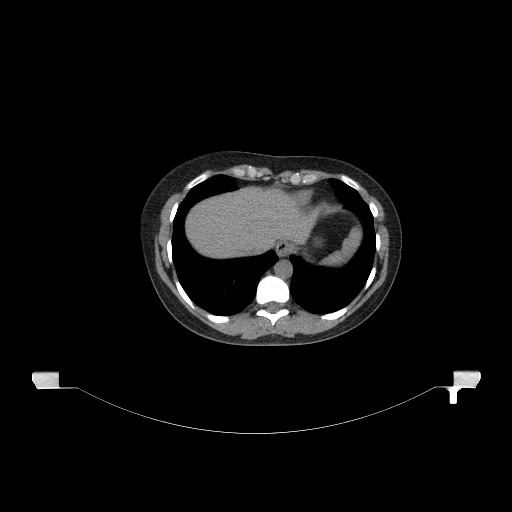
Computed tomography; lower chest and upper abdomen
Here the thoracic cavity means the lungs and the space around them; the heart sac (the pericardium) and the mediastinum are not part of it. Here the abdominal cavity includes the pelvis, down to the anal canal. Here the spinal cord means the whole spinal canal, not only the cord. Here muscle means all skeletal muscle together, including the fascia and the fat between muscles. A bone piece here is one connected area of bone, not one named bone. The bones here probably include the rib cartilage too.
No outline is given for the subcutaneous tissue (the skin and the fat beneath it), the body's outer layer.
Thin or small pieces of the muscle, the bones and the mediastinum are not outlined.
{"bones":[{"outer":[[266,275],[274,275],[281,278],[288,285],[289,287],[289,293],[290,294],[290,299],[285,304],[285,306],[289,311],[288,314],[279,317],[273,325],[271,324],[271,322],[268,318],[255,314],[256,311],[259,308],[259,306],[255,302],[257,285],[261,278]],"hole":[[272,301],[273,302],[277,302],[278,303],[279,303],[279,304],[280,305],[280,307],[279,308],[279,309],[278,309],[276,311],[275,311],[274,312],[270,312],[269,311],[268,311],[265,308],[265,305],[268,302],[271,302]]},[[249,165],[253,166],[258,171],[261,172],[262,175],[264,177],[265,176],[268,176],[269,179],[268,180],[264,180],[261,177],[256,177],[253,179],[250,179],[246,175],[242,178],[233,176],[232,173],[232,169],[233,168],[246,169]],[[295,172],[297,172],[301,175],[305,175],[306,174],[315,174],[318,176],[318,180],[317,181],[315,181],[312,183],[309,183],[308,184],[298,184],[297,185],[294,185],[293,184],[290,183],[288,181],[288,179],[289,178],[289,177],[293,173],[294,173]],[[207,170],[210,171],[210,173],[211,174],[211,175],[208,178],[207,178],[205,180],[198,183],[196,185],[195,185],[193,187],[192,187],[189,190],[186,190],[185,189],[185,186],[188,183],[188,182],[189,182],[196,176],[199,175],[204,171],[206,171]],[[348,305],[349,306],[348,309],[342,315],[341,315],[339,317],[338,317],[335,319],[322,319],[320,317],[320,315],[322,315],[323,314],[326,314],[327,313],[331,313],[332,312],[334,312],[335,311],[337,311],[338,310],[343,308],[345,306],[347,306]],[[175,279],[177,279],[178,280],[178,281],[180,283],[182,288],[184,290],[184,291],[186,293],[186,294],[195,305],[195,306],[196,307],[194,309],[193,308],[192,308],[184,300],[184,299],[179,293],[179,292],[177,289],[177,287],[175,284]],[[340,174],[345,174],[346,175],[347,175],[349,177],[350,177],[352,179],[353,179],[356,182],[357,182],[357,183],[360,186],[360,190],[359,191],[358,191],[357,190],[356,190],[354,188],[351,187],[349,185],[346,184],[341,180],[338,179],[338,177]],[[206,312],[208,312],[209,313],[210,313],[211,314],[213,314],[214,315],[218,315],[219,316],[228,316],[229,317],[229,320],[227,322],[222,322],[221,323],[216,323],[215,322],[214,322],[213,321],[208,319],[206,317],[206,316],[205,315],[205,313]],[[373,265],[374,265],[376,267],[376,271],[375,272],[375,275],[374,276],[374,277],[373,278],[373,279],[372,280],[371,283],[369,285],[369,286],[365,290],[363,290],[362,289],[366,283],[366,281],[369,276],[369,274],[371,271],[371,269],[372,268]],[[169,238],[170,238],[171,239],[171,255],[172,256],[172,264],[171,263],[170,263],[169,262],[169,260],[168,259],[168,254],[167,253],[167,241],[168,240],[168,239]],[[175,202],[178,202],[178,206],[177,207],[177,209],[176,210],[176,212],[174,215],[174,217],[173,218],[173,220],[172,221],[172,222],[170,222],[169,221],[169,217],[170,216],[170,212],[171,211],[171,209],[172,208],[172,207],[173,206],[173,205]],[[370,201],[372,201],[375,204],[375,205],[377,208],[377,212],[378,213],[378,214],[376,217],[373,217],[373,215],[372,214],[372,213],[370,210],[370,208],[368,205],[368,203]],[[376,232],[377,232],[379,234],[379,237],[380,238],[380,246],[379,247],[379,250],[378,251],[376,251],[376,238],[375,237],[375,234],[376,233]]],"muscle":[[[358,182],[378,200],[386,214],[389,234],[387,274],[383,283],[359,308],[327,330],[307,336],[266,334],[254,339],[225,334],[191,314],[156,270],[154,238],[160,227],[159,210],[172,194],[184,186],[186,194],[179,203],[173,203],[169,212],[172,234],[166,241],[166,253],[177,277],[174,279],[176,289],[192,309],[196,306],[201,308],[208,320],[221,324],[227,323],[229,316],[243,311],[254,302],[258,306],[254,314],[268,319],[273,326],[279,318],[289,314],[286,304],[291,299],[306,311],[318,314],[322,320],[335,320],[349,309],[349,304],[361,290],[365,291],[370,286],[377,271],[373,262],[381,246],[380,234],[374,227],[378,208],[372,200],[367,203],[363,199]],[[254,166],[267,167],[274,173],[279,173],[285,170],[296,171],[298,169],[300,170],[301,169],[313,169],[329,173],[346,173],[347,174],[340,173],[337,178],[328,178],[327,179],[320,179],[319,180],[319,176],[315,173],[301,174],[299,172],[295,171],[288,177],[287,179],[288,182],[284,182],[285,181],[284,180],[282,181],[276,181],[274,179],[270,179],[270,177],[268,175],[264,176],[263,173]],[[239,164],[248,164],[247,167],[246,168],[241,168],[240,167],[233,167],[231,169],[231,173],[232,174],[232,176],[228,174],[223,174],[222,173],[212,175],[211,171],[209,170],[210,169],[223,169],[224,168],[231,167],[232,166],[238,165]]],"pericardium":[[[289,186],[302,186],[303,187],[324,188],[330,193],[330,195],[331,196],[331,201],[332,202],[330,205],[325,207],[323,207],[322,206],[315,206],[314,207],[305,207],[304,206],[302,206],[296,200],[294,199],[290,193],[289,191],[289,188],[288,187]]],"thoracic_cavity":[[[220,174],[233,177],[237,187],[208,195],[189,208],[183,220],[183,232],[190,247],[199,255],[212,260],[257,256],[270,250],[273,250],[277,257],[258,281],[254,301],[231,315],[214,314],[194,303],[178,279],[172,255],[173,221],[179,204],[192,188]],[[328,179],[337,179],[354,189],[367,204],[373,218],[375,252],[368,276],[357,295],[347,305],[319,314],[306,310],[291,298],[289,286],[294,268],[290,255],[298,256],[313,266],[336,270],[345,266],[354,257],[364,239],[364,228],[360,218],[337,199]]],"mediastinum":[[[279,241],[287,241],[292,243],[296,247],[297,251],[300,254],[300,255],[295,255],[294,254],[290,254],[289,255],[289,260],[293,268],[289,285],[281,277],[277,275],[274,274],[266,274],[262,276],[278,260],[278,257],[275,251],[272,248]],[[320,180],[328,180],[328,182],[334,191],[336,199],[340,203],[341,203],[342,205],[332,204],[333,202],[332,201],[331,193],[324,187],[315,187],[314,186],[303,186],[302,185],[298,185],[308,185],[309,184],[312,184],[315,182],[317,182]],[[235,178],[239,178],[240,179],[244,179],[245,180],[253,180],[254,179],[262,179],[264,181],[268,181],[269,180],[274,180],[274,181],[271,184],[262,184],[261,183],[246,183],[245,184],[243,184],[242,185],[240,185],[239,186],[238,186],[238,183]]],"abdominal_cavity":[[[275,181],[291,185],[287,187],[288,191],[302,207],[343,206],[359,218],[363,239],[345,265],[332,269],[310,264],[299,256],[297,247],[287,240],[277,241],[263,253],[231,259],[208,258],[191,247],[185,236],[184,220],[196,202],[246,184],[271,185]]],"torso":[[[216,150],[241,150],[272,155],[335,157],[361,167],[384,187],[400,218],[402,255],[390,291],[369,318],[344,334],[316,343],[288,346],[239,346],[201,337],[180,325],[168,313],[156,295],[145,267],[139,239],[141,211],[152,188],[168,170],[187,158]]],"spinal_cord":[[[272,301],[273,302],[277,302],[278,303],[279,303],[279,304],[280,305],[280,307],[279,308],[279,309],[278,309],[276,311],[275,311],[274,312],[270,312],[269,311],[268,311],[265,308],[265,305],[268,302],[271,302]]]}